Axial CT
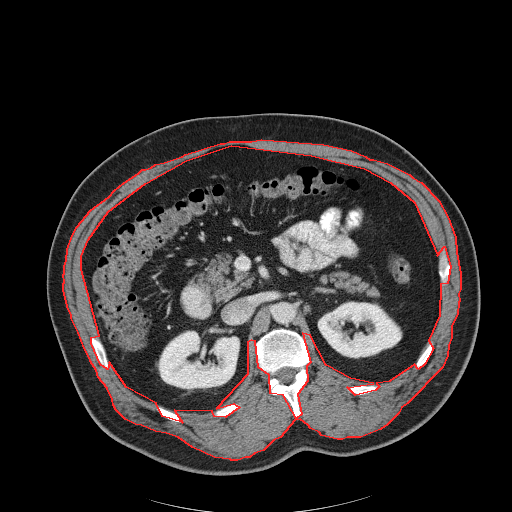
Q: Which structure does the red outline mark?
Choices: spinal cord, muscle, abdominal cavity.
A: red: muscle.
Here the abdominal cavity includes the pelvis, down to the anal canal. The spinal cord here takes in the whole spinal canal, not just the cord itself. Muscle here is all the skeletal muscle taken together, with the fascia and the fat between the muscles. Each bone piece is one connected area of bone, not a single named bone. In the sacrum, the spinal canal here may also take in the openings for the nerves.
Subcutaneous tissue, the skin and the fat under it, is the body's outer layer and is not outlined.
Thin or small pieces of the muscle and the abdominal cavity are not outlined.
Outlines:
muscle: [[261,139],[323,144],[351,150],[365,156],[369,159],[373,159],[387,163],[409,174],[412,177],[421,182],[438,200],[447,216],[455,237],[456,252],[460,273],[460,289],[458,293],[459,301],[458,302],[457,314],[451,325],[451,337],[448,345],[447,355],[442,367],[407,403],[401,407],[398,413],[387,424],[380,429],[360,437],[347,437],[342,439],[337,439],[321,435],[319,432],[310,428],[308,425],[300,419],[294,420],[280,437],[273,440],[263,450],[254,453],[249,457],[245,457],[237,460],[231,460],[230,459],[214,457],[192,447],[178,437],[166,433],[155,431],[141,425],[135,424],[125,419],[116,410],[113,405],[112,399],[107,388],[98,377],[96,370],[90,361],[90,359],[84,348],[78,332],[71,318],[71,315],[67,306],[63,289],[63,283],[64,282],[63,274],[64,273],[64,266],[66,260],[67,249],[72,235],[77,226],[90,210],[109,196],[114,190],[124,182],[138,173],[142,169],[145,169],[151,167],[155,164],[164,162],[182,156],[185,154],[220,143],[224,143],[229,141],[251,141]], around a hole outlined by [[231,145],[311,155],[364,168],[390,182],[414,202],[437,255],[444,246],[450,266],[447,283],[440,284],[439,315],[428,340],[433,348],[424,364],[418,369],[414,364],[389,381],[376,383],[379,386],[375,390],[355,395],[347,387],[373,383],[350,378],[326,365],[310,335],[302,333],[310,362],[306,366],[307,381],[297,394],[301,414],[296,418],[283,395],[270,393],[269,375],[258,367],[255,341],[251,340],[247,342],[247,374],[216,408],[233,403],[239,407],[225,417],[214,416],[212,411],[174,410],[182,422],[162,416],[156,403],[126,387],[109,362],[107,369],[100,364],[91,343],[91,337],[99,335],[81,269],[81,256],[88,239],[108,211],[145,183],[186,160]]
bones 1: [[276,328],[285,328],[297,332],[305,341],[309,351],[310,362],[306,366],[307,381],[297,394],[297,401],[301,412],[298,418],[293,416],[292,407],[283,395],[273,395],[270,393],[268,389],[269,375],[262,371],[256,363],[256,342],[261,336]], around a hole outlined by [[283,367],[290,367],[291,368],[294,368],[295,369],[296,369],[296,372],[294,375],[294,378],[293,379],[293,381],[292,381],[288,384],[285,384],[284,383],[281,383],[280,382],[280,381],[275,376],[275,374],[276,373],[276,372],[279,369],[280,369]]
bones 2: [[443,246],[445,247],[445,250],[446,251],[446,254],[447,255],[447,259],[448,260],[448,262],[450,266],[450,270],[449,271],[449,278],[448,279],[447,283],[444,285],[443,285],[440,281],[440,276],[438,272],[439,270],[439,256],[440,255],[441,249]]
bones 3: [[92,336],[94,336],[95,337],[97,337],[99,338],[100,341],[103,345],[103,347],[105,350],[106,357],[108,361],[108,368],[107,369],[103,367],[100,364],[97,358],[97,356],[95,353],[94,348],[91,343],[91,337]]
bones 4: [[361,384],[375,384],[376,385],[379,385],[379,386],[378,388],[377,388],[373,391],[371,391],[370,392],[368,392],[364,394],[361,394],[360,395],[355,395],[352,393],[350,393],[346,389],[346,388],[347,387],[349,387],[353,385],[360,385]]
bones 5: [[233,403],[237,403],[238,404],[239,404],[239,407],[235,411],[234,411],[231,414],[230,414],[225,417],[223,417],[222,416],[214,416],[212,414],[212,413],[215,410],[216,410],[217,409],[218,409],[225,405],[229,405],[230,404],[232,404]]
bones 6: [[430,341],[431,341],[433,343],[433,348],[432,349],[432,351],[431,352],[428,359],[426,361],[426,362],[424,364],[423,364],[418,369],[416,369],[415,368],[415,364],[416,363],[416,361],[418,359],[419,356],[425,349],[425,348],[427,346],[428,343]]
bones 7: [[157,405],[159,405],[168,410],[170,410],[171,411],[174,412],[177,415],[178,415],[183,420],[183,421],[182,422],[176,422],[175,421],[173,421],[172,420],[170,420],[169,419],[168,419],[167,418],[162,416],[157,411],[157,410],[156,409],[156,406]]
spinal cord: [[283,367],[290,367],[291,368],[294,368],[295,369],[296,369],[296,372],[294,375],[294,378],[293,379],[293,381],[292,381],[288,384],[285,384],[284,383],[281,383],[280,382],[280,381],[275,376],[275,374],[276,373],[276,372],[279,369],[280,369]]
torso: [[268,112],[326,116],[365,126],[400,144],[426,167],[458,206],[474,243],[480,281],[477,335],[465,370],[445,403],[427,422],[389,445],[350,456],[304,450],[245,474],[185,471],[114,440],[86,410],[49,315],[49,250],[77,186],[124,145],[183,120]]
abdominal cavity: [[231,145],[364,168],[414,202],[437,252],[441,303],[436,325],[411,367],[389,381],[359,381],[326,365],[309,334],[276,327],[255,343],[247,342],[247,374],[212,411],[173,411],[143,399],[122,383],[93,320],[81,269],[84,247],[120,200],[186,160]]